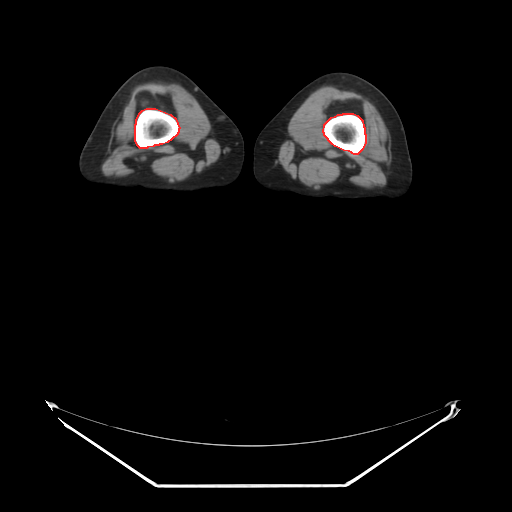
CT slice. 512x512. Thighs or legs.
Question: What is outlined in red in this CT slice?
Answer: red: bones.
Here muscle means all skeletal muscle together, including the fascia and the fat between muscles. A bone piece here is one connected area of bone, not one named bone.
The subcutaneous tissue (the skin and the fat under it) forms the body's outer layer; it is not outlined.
The bones appear in 2 outlined pieces: piece 1: 146 108; 155 108; 170 114; 175 118; 179 128; 178 129; 178 132; 176 135; 167 142; 162 144; 159 144; 158 145; 154 145; 153 146; 147 147; 146 148; 140 148; 137 145; 135 140; 135 124; 136 123; 136 120; 139 113; 142 110; piece 2: 343 113; 353 113; 357 115; 362 120; 363 126; 364 127; 364 133; 365 134; 365 142; 362 149; 357 154; 354 154; 349 151; 343 150; 335 146; 332 144; 324 135; 324 133; 323 132; 324 124; 331 117; 335 116; 338 114; 342 114. The left leg is outlined by 334 71; 349 72; 366 79; 380 89; 396 108; 405 130; 413 171; 410 187; 404 195; 390 199; 384 197; 355 199; 331 196; 309 197; 293 192; 272 191; 260 185; 255 179; 252 169; 252 152; 255 139; 261 129; 303 86; 320 75. The right leg is outlined by 151 65; 170 66; 186 74; 237 125; 243 136; 245 156; 241 172; 233 182; 223 187; 211 187; 198 191; 180 192; 170 190; 149 190; 142 187; 124 188; 99 185; 90 183; 82 177; 78 168; 79 155; 103 108; 128 77; 136 71. The muscle appears in 2 outlined pieces: piece 1: 324 85; 345 86; 366 97; 373 103; 389 130; 392 141; 392 162; 387 184; 379 192; 377 193; 348 192; 324 189; 314 190; 299 188; 291 184; 283 176; 278 164; 275 163; 275 160; 278 155; 281 136; 290 118; 304 100; 313 91 with a hole at 343 113; 353 113; 357 115; 362 120; 363 126; 364 127; 364 133; 365 134; 365 142; 362 149; 357 154; 354 154; 349 151; 343 150; 335 146; 332 144; 324 135; 324 133; 323 132; 324 124; 331 117; 335 116; 338 114; 342 114; piece 2: 147 80; 163 80; 182 84; 188 89; 211 118; 223 143; 225 154; 224 157; 208 173; 202 177; 193 181; 182 181; 171 184; 167 182; 147 179; 108 178; 103 175; 101 171; 101 164; 103 161; 112 124; 117 114; 130 97; 134 87; inner edge: 146 108; 155 108; 170 114; 175 118; 179 128; 178 129; 178 132; 176 135; 167 142; 162 144; 159 144; 158 145; 154 145; 153 146; 147 147; 146 148; 140 148; 137 145; 135 140; 135 124; 136 123; 136 120; 139 113; 142 110.